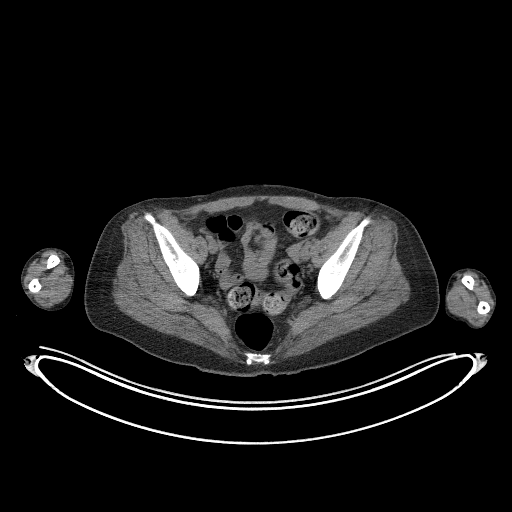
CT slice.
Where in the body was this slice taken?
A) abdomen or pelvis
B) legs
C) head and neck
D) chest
A) abdomen or pelvis
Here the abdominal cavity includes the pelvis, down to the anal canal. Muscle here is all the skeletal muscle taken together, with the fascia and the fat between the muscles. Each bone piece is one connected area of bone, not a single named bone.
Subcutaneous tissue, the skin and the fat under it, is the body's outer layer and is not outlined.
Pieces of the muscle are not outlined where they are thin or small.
Outlines:
left arm: [[464,267],[472,267],[481,271],[488,278],[496,295],[496,305],[493,315],[489,321],[483,327],[480,328],[472,328],[469,327],[463,322],[456,321],[450,318],[445,313],[445,310],[444,309],[444,299],[445,298],[445,288],[448,278],[454,271]]
right arm: [[49,246],[58,247],[67,252],[73,262],[74,270],[75,271],[75,279],[74,280],[74,287],[73,288],[72,297],[67,305],[63,308],[55,311],[48,311],[34,305],[24,293],[20,283],[20,273],[25,262],[28,258],[36,251],[44,247],[48,247]]
muscle 1: [[249,195],[305,197],[342,210],[386,215],[397,226],[396,255],[409,282],[409,298],[366,326],[270,363],[272,355],[266,352],[315,301],[316,289],[328,300],[340,288],[372,219],[364,216],[317,268],[312,245],[340,220],[321,209],[265,199],[202,210],[184,225],[207,243],[200,265],[151,212],[143,213],[177,287],[192,297],[200,282],[201,294],[246,351],[245,363],[123,313],[112,289],[124,250],[121,225],[129,214]]
muscle 2: [[48,250],[56,251],[63,256],[64,263],[68,268],[68,271],[71,276],[71,284],[68,295],[62,301],[56,303],[52,306],[47,307],[41,305],[28,291],[28,289],[24,285],[24,277],[27,272],[27,269],[32,261],[39,255],[41,255],[42,253]], around holes outlined by [[33,278],[37,278],[38,279],[38,280],[39,281],[39,282],[40,283],[40,284],[41,285],[41,287],[40,288],[40,289],[37,292],[35,292],[34,293],[33,292],[31,292],[29,290],[29,289],[28,288],[28,284],[29,283],[29,282]] and by [[52,253],[54,253],[55,254],[56,254],[58,256],[58,257],[59,258],[59,262],[55,266],[54,266],[53,267],[52,267],[51,268],[47,268],[46,267],[46,265],[47,264],[47,263],[46,262],[47,261],[47,259],[48,258],[48,257]]
muscle 3: [[466,271],[476,273],[479,278],[484,281],[493,300],[491,309],[486,300],[481,299],[477,303],[476,311],[480,315],[485,315],[489,312],[485,320],[478,325],[474,325],[465,318],[450,312],[447,305],[447,295],[455,281],[455,275],[457,273],[463,273]] with a hole at [[464,274],[468,274],[469,275],[470,275],[473,278],[473,279],[474,280],[474,283],[473,284],[473,289],[472,290],[470,290],[469,289],[468,289],[462,283],[462,282],[461,281],[461,279],[462,278],[462,277],[463,276],[463,275]]
abdominal cavity: [[265,200],[286,208],[321,210],[339,222],[311,245],[311,260],[318,269],[314,301],[301,310],[273,349],[260,352],[247,351],[240,347],[222,312],[208,303],[202,294],[199,266],[207,258],[209,246],[201,235],[194,235],[185,225],[202,211],[225,211]]
torso: [[256,183],[291,185],[329,196],[367,197],[403,213],[418,230],[437,275],[440,298],[435,318],[419,329],[347,360],[275,376],[232,376],[170,363],[94,327],[84,310],[85,280],[98,238],[105,224],[116,212],[148,198],[189,196],[229,186]]
bones 1: [[146,212],[151,213],[158,223],[166,227],[171,232],[180,247],[198,265],[199,272],[200,273],[200,281],[198,284],[198,288],[194,295],[188,296],[185,294],[178,287],[174,281],[169,268],[162,256],[153,228],[151,224],[144,218],[144,213]]
bones 2: [[366,216],[370,217],[371,221],[365,226],[363,230],[362,237],[358,246],[357,251],[341,285],[336,292],[333,294],[330,298],[328,299],[323,299],[319,294],[319,292],[316,286],[317,276],[320,267],[337,249],[348,232],[354,228],[362,220],[362,219]]
bones 3: [[245,352],[259,352],[260,353],[268,353],[271,355],[271,356],[270,357],[270,362],[268,364],[264,364],[261,362],[259,362],[258,363],[257,362],[253,362],[251,364],[247,364],[246,363],[246,360],[245,359],[245,356],[244,355],[244,354],[245,353]]
bones 4: [[464,274],[468,274],[469,275],[470,275],[473,278],[473,279],[474,280],[474,283],[473,284],[473,289],[472,290],[470,290],[469,289],[468,289],[462,283],[462,282],[461,281],[461,279],[462,278],[462,277],[463,276],[463,275]]
bones 5: [[33,278],[37,278],[38,279],[38,280],[39,281],[39,282],[40,283],[40,284],[41,285],[41,287],[40,288],[40,289],[37,292],[35,292],[34,293],[33,292],[31,292],[29,290],[29,289],[28,288],[28,284],[29,283],[29,282]]
bones 6: [[52,253],[54,253],[55,254],[56,254],[58,256],[58,257],[59,258],[59,262],[55,266],[54,266],[53,267],[52,267],[51,268],[47,268],[46,267],[46,265],[47,264],[47,263],[46,262],[47,261],[47,259],[48,258],[48,257]]
bones 7: [[481,300],[483,300],[484,301],[486,301],[488,303],[488,304],[489,305],[489,307],[490,308],[490,309],[489,310],[489,311],[488,312],[487,312],[485,314],[480,314],[477,311],[477,306],[478,305],[478,303]]